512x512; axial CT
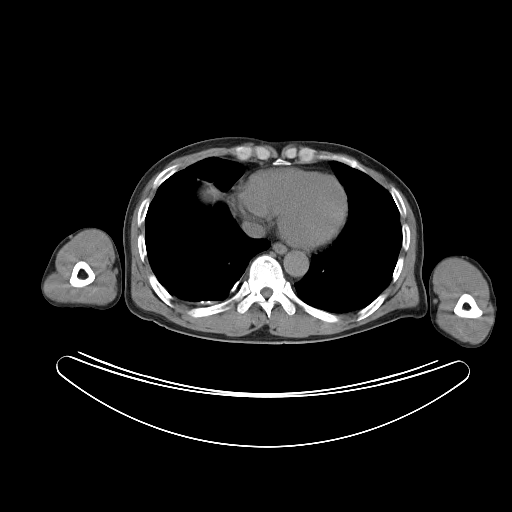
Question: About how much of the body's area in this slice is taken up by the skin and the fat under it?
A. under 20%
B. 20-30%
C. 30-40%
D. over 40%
Answer: A. under 20%
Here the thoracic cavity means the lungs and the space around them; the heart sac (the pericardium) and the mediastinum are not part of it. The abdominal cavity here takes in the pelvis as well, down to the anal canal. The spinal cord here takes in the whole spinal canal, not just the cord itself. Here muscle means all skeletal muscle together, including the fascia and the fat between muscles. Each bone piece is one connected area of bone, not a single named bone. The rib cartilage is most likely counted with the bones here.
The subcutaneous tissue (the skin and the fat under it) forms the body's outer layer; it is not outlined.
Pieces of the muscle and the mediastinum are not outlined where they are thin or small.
{"right_arm":[[[86,226],[93,226],[101,228],[109,234],[117,248],[120,263],[124,272],[122,293],[119,300],[114,306],[104,311],[98,311],[93,309],[83,309],[82,308],[60,308],[51,305],[45,300],[40,289],[40,281],[42,274],[54,248],[64,237],[77,229]]],"spinal_cord":[[[265,287],[267,287],[268,288],[270,288],[272,290],[272,293],[268,297],[265,297],[264,296],[263,296],[262,295],[262,294],[261,293],[261,290],[263,288],[264,288]]],"thoracic_cavity":[[[208,157],[240,163],[244,171],[228,191],[220,190],[211,181],[198,179],[197,200],[205,206],[225,204],[246,236],[267,240],[269,246],[250,260],[247,277],[233,295],[210,305],[196,306],[174,296],[158,280],[147,257],[144,223],[157,188],[178,171]],[[331,161],[345,164],[367,174],[387,190],[397,208],[401,224],[401,248],[389,283],[374,299],[362,308],[355,311],[341,313],[330,312],[305,302],[297,295],[293,287],[308,272],[312,256],[329,245],[338,236],[347,221],[347,194],[343,184],[335,175]]],"left_arm":[[[451,254],[463,254],[474,258],[481,264],[492,280],[497,304],[495,322],[488,340],[483,345],[476,348],[465,348],[462,347],[440,335],[434,329],[430,319],[430,314],[428,312],[429,301],[428,300],[427,288],[428,287],[430,273],[435,264],[440,259]]],"muscle":[[[158,172],[151,183],[156,189],[153,197],[145,197],[137,210],[136,224],[144,224],[144,233],[137,236],[136,245],[140,260],[143,262],[146,257],[151,268],[147,276],[151,288],[169,307],[174,306],[175,297],[195,306],[187,311],[193,318],[227,311],[234,303],[239,314],[257,303],[268,318],[276,303],[289,316],[298,306],[326,323],[336,323],[340,319],[336,314],[348,312],[357,311],[357,322],[368,317],[386,299],[386,287],[398,279],[404,265],[399,253],[410,246],[410,228],[400,220],[407,209],[398,189],[415,219],[414,277],[418,304],[392,310],[337,333],[305,337],[275,335],[266,326],[241,336],[200,331],[137,306],[131,297],[131,220],[145,186]],{"outer":[[89,229],[97,230],[103,233],[112,245],[115,257],[114,259],[116,263],[115,268],[117,280],[117,292],[115,297],[111,301],[103,305],[78,302],[58,302],[49,298],[45,294],[43,286],[45,279],[50,273],[50,270],[55,262],[57,253],[75,235]],"hole":[[80,260],[83,260],[84,261],[85,261],[90,266],[90,267],[94,272],[95,277],[92,282],[91,282],[82,287],[74,287],[70,284],[69,279],[70,278],[70,276],[71,275],[71,272],[72,271],[73,266],[76,262],[77,262]]},{"outer":[[450,258],[461,258],[475,266],[482,274],[483,277],[487,282],[489,288],[489,299],[493,307],[492,321],[486,336],[478,343],[473,344],[461,341],[443,330],[436,322],[436,315],[432,299],[433,277],[435,271],[439,265],[445,260]],"hole":[[463,293],[468,293],[470,294],[474,298],[477,305],[481,309],[482,311],[482,314],[479,317],[477,318],[465,318],[464,317],[460,317],[458,316],[454,312],[453,310],[456,304],[456,302],[459,298],[459,297],[461,295],[461,294]]},[[246,142],[251,142],[256,145],[269,145],[279,152],[283,147],[289,144],[307,146],[304,146],[298,149],[294,146],[288,147],[283,152],[283,157],[278,156],[273,159],[270,159],[271,158],[271,152],[266,147],[262,145],[256,145],[253,147],[248,145],[237,145],[231,150],[231,153],[234,157],[208,156],[195,161],[179,170],[179,164],[178,163],[174,163],[165,167],[168,163],[174,159],[188,154],[215,147],[231,147]],[[361,164],[362,164],[366,167],[368,167],[371,169],[373,169],[377,172],[382,174],[390,182],[393,183],[395,186],[391,185],[389,187],[388,190],[386,189],[377,181],[376,181],[372,177],[371,177],[367,173],[366,173],[367,172],[366,170]]],"abdominal_cavity":[[[198,180],[206,180],[209,182],[211,182],[220,191],[231,193],[234,195],[234,208],[238,215],[236,217],[236,220],[233,217],[228,206],[225,203],[223,202],[218,202],[213,205],[205,205],[201,203],[198,200],[196,196],[196,191],[200,185],[200,183]]],"mediastinum":[[[237,217],[261,226],[292,249],[301,250],[306,253],[315,253],[311,256],[309,268],[303,277],[292,285],[285,277],[281,264],[273,256],[266,253],[256,256],[251,261],[257,254],[267,250],[270,246],[270,242],[264,238],[246,235],[239,228]],[[224,158],[234,158],[239,161],[248,161],[249,160],[252,161],[255,161],[256,160],[267,161],[268,160],[272,160],[271,161],[271,164],[273,165],[261,165],[259,167],[256,167],[244,173],[245,171],[245,167],[243,164],[240,162],[228,158]],[[292,160],[293,160],[293,161],[296,163],[300,163],[301,164],[308,164],[319,160],[329,160],[330,161],[330,165],[333,170],[334,174],[330,171],[328,171],[325,169],[322,169],[319,167],[310,167],[309,166],[301,166],[300,165],[290,165],[292,163]],[[237,180],[238,180],[237,181],[237,182],[236,183],[236,185],[235,186],[235,187],[234,188],[234,194],[233,193],[232,193],[231,192],[228,192],[229,191],[229,190],[233,186],[233,185],[237,181]]],"pericardium":[[[261,166],[300,166],[319,168],[330,172],[337,178],[343,187],[346,195],[347,214],[344,225],[337,236],[329,244],[316,252],[306,252],[301,249],[295,249],[283,243],[273,233],[261,225],[238,217],[239,215],[235,208],[235,188],[237,183],[244,174]]],"torso":[[[223,136],[343,144],[366,153],[393,171],[411,190],[421,213],[422,278],[428,301],[425,315],[419,319],[400,318],[331,341],[254,345],[191,337],[170,331],[130,312],[122,295],[125,279],[122,230],[126,208],[136,184],[155,162],[172,151],[197,141]]],"bones":[{"outer":[[264,254],[280,264],[284,277],[302,301],[337,315],[338,321],[326,322],[298,305],[289,315],[278,302],[269,317],[257,302],[243,313],[237,311],[234,302],[229,309],[218,313],[200,317],[188,314],[191,308],[210,306],[233,296],[248,277],[250,263]],"hole":[[265,287],[267,287],[268,288],[270,288],[272,290],[272,293],[268,297],[265,297],[264,296],[263,296],[262,295],[262,294],[261,293],[261,290],[263,288],[264,288]]},[[292,147],[298,150],[304,147],[313,148],[318,154],[340,154],[353,158],[366,172],[351,167],[345,163],[329,159],[315,159],[312,162],[301,163],[295,158],[291,160],[289,165],[274,165],[272,164],[272,161],[278,157],[283,158],[284,152]],[[463,293],[468,293],[470,294],[474,298],[477,305],[481,309],[482,311],[482,314],[479,317],[477,318],[465,318],[464,317],[460,317],[458,316],[454,312],[453,310],[456,304],[456,302],[459,298],[459,297],[461,295],[461,294]],[[80,260],[83,260],[84,261],[85,261],[90,266],[90,267],[94,272],[95,277],[92,282],[91,282],[82,287],[74,287],[70,284],[69,279],[70,278],[70,276],[71,275],[71,272],[72,271],[73,266],[76,262],[77,262]],[[237,146],[248,146],[249,147],[252,147],[253,148],[256,146],[262,146],[266,148],[270,152],[270,158],[267,160],[261,160],[260,159],[257,159],[254,156],[253,156],[251,157],[248,160],[239,160],[237,159],[232,153],[232,150],[235,147]],[[152,273],[154,274],[157,280],[164,287],[164,288],[170,294],[171,294],[173,296],[173,299],[171,301],[173,305],[172,307],[169,306],[166,303],[165,303],[156,294],[156,293],[152,288],[149,282],[149,279],[148,278],[148,276]],[[382,292],[385,292],[387,294],[387,295],[386,296],[385,299],[379,306],[379,307],[375,311],[374,311],[368,316],[357,321],[356,320],[356,318],[358,316],[358,315],[357,314],[357,312],[359,310],[362,309],[364,307],[365,307],[367,305],[368,305]],[[174,164],[178,164],[178,170],[176,172],[175,172],[173,174],[172,174],[169,177],[168,177],[165,180],[164,180],[156,188],[153,188],[152,187],[152,183],[153,182],[154,179],[156,177],[156,176],[163,169],[164,169],[169,166],[171,166]],[[391,186],[393,186],[397,189],[397,190],[399,192],[399,193],[402,198],[402,200],[404,203],[404,205],[405,206],[405,208],[406,209],[406,214],[405,215],[405,216],[400,216],[400,214],[399,213],[398,208],[397,207],[391,194],[389,192],[389,189]],[[145,198],[148,198],[150,200],[150,202],[147,208],[147,211],[145,215],[144,222],[142,223],[139,226],[137,224],[137,215],[138,214],[138,210],[139,209],[139,207],[140,206],[140,204],[141,202]],[[403,223],[406,223],[407,224],[407,225],[408,226],[408,227],[409,228],[409,231],[410,232],[410,239],[409,240],[409,246],[408,247],[408,249],[407,250],[404,250],[402,248],[402,228],[401,227],[401,226],[402,225],[402,224]],[[140,234],[144,234],[144,240],[145,241],[145,247],[146,248],[146,256],[144,258],[144,260],[143,261],[142,261],[141,260],[141,259],[140,258],[140,255],[139,254],[139,250],[138,249],[138,246],[137,245],[137,239],[138,238],[138,236]],[[399,256],[400,256],[403,258],[403,265],[402,266],[401,271],[400,272],[400,273],[399,274],[397,279],[394,282],[392,282],[392,274],[393,273],[393,271],[394,270],[395,265],[397,262],[397,260],[398,259],[398,257]]]}